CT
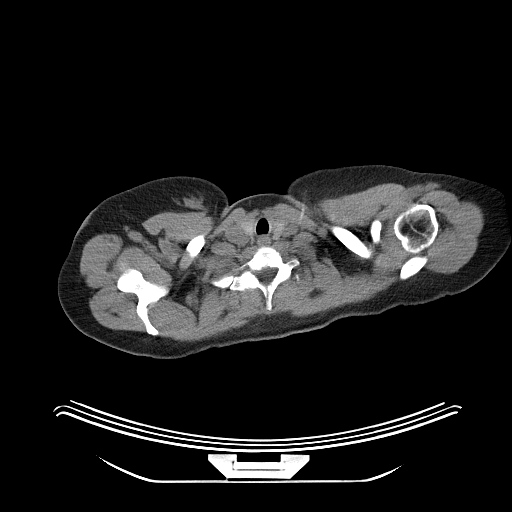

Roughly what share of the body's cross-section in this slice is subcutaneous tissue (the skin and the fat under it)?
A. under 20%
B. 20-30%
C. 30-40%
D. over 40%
Answer: C. 30-40%
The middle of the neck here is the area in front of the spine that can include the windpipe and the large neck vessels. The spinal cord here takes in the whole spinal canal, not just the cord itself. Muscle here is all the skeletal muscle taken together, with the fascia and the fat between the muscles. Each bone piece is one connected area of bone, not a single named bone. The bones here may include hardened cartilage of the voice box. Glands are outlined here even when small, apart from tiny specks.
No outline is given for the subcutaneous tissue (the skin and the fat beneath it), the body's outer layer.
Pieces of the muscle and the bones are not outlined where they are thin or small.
The torso is outlined by 361,164 406,169 380,201 376,235 394,258 422,266 454,295 177,359 100,343 79,331 60,305 57,279 68,252 97,255 112,239 112,221 98,203 115,193 189,175 215,183 232,203 284,193 291,181 316,169. The thyroid glands appear in 2 outlined pieces: piece 1: 250,218 254,218 255,219 255,224 254,225 254,232 253,233 253,236 251,239 250,239 249,238 248,238 244,234 244,233 242,231 242,230 240,228 240,223 242,221 244,221 245,220 247,220; piece 2: 273,217 274,217 275,218 279,218 280,219 282,219 283,220 284,220 286,222 286,223 285,224 285,226 284,227 284,228 283,229 282,232 280,234 280,235 277,238 273,238 273,225 272,224 272,218. The middle of the neck is outlined by 260,215 271,217 273,239 277,239 281,235 287,224 291,226 291,233 287,237 279,241 276,241 271,245 259,246 252,243 240,243 236,238 238,230 240,229 243,234 251,240 255,232 255,218. The bones appear in 6 outlined pieces: piece 1: 414,203 428,204 435,210 438,221 438,229 432,243 419,253 420,255 425,255 427,257 427,261 425,264 417,273 405,280 401,280 399,278 401,267 403,263 412,255 402,247 400,241 394,233 393,224 396,217; piece 2: 261,246 273,247 285,260 296,258 299,261 290,277 275,288 271,297 270,311 266,309 265,297 258,288 248,288 241,291 232,290 228,287 221,288 211,283 213,279 224,274 236,274 236,268 249,260, around a hole outlined by 265,268 275,268 276,269 276,271 275,272 275,274 274,275 274,276 271,279 271,280 267,284 264,284 258,278 258,277 256,275 256,272 257,271 260,271 261,270 262,270 263,269 264,269; piece 3: 133,267 139,270 146,280 157,284 165,285 169,289 166,295 162,296 156,302 147,306 148,318 159,332 158,335 151,335 147,333 144,323 136,312 138,301 137,296 131,292 123,292 117,287 117,279 121,272; piece 4: 332,225 338,225 339,226 341,226 355,234 365,244 366,244 368,246 369,249 372,253 372,255 370,257 370,258 368,258 367,259 366,258 363,258 359,255 356,254 348,248 347,248 332,233 330,229 330,227; piece 5: 199,234 203,234 204,235 204,237 205,238 205,242 202,246 202,247 199,251 199,252 193,258 191,258 190,257 189,254 186,250 186,247 187,246 188,243 190,241 190,240 193,237 194,237; piece 6: 375,219 378,219 381,222 381,229 380,230 380,242 379,243 378,243 377,244 373,244 371,242 371,237 370,236 370,226 371,225 371,223 372,222 372,221 373,220 374,220. The spinal cord is outlined by 265,268 275,268 276,269 276,271 275,272 275,274 274,275 274,276 271,279 271,280 267,284 264,284 258,278 258,277 256,275 256,272 257,271 260,271 261,270 262,270 263,269 264,269. The right arm is outlined by 97,204 100,205 106,211 111,221 111,224 112,225 112,235 111,236 111,239 108,245 101,252 97,254 94,254 93,255 82,255 81,254 74,253 70,251 69,250 72,243 72,240 80,224 87,215 87,214. The muscle is outlined by 429,181 483,209 477,248 456,272 422,269 428,257 420,253 435,240 439,221 430,204 414,202 392,224 411,255 400,267 400,281 367,300 301,317 257,316 215,337 179,341 159,336 149,318 148,306 170,289 133,266 120,272 116,287 136,296 135,312 146,332 105,327 89,309 79,262 94,235 134,229 163,211 225,214 290,198 315,202 381,183; inner edges: 260,215 282,219 291,226 291,233 271,246 285,260 296,258 299,261 290,277 275,288 270,311 266,309 265,297 258,288 241,291 211,283 224,274 236,274 236,268 252,257 259,246 240,243 236,235 242,221, then 332,225 338,225 339,226 341,226 355,234 365,244 366,244 368,246 369,249 372,253 372,255 370,257 370,258 368,258 367,259 366,258 363,258 359,255 356,254 348,248 347,248 332,233 330,229 330,227, then 199,234 203,234 204,235 204,237 205,238 205,242 202,246 202,247 199,251 199,252 193,258 191,258 190,257 189,254 186,250 186,247 187,246 188,243 190,241 190,240 193,237 194,237, then 375,219 378,219 381,222 381,229 380,230 380,242 379,243 378,243 377,244 373,244 371,242 371,237 370,236 370,226 371,225 371,223 372,222 372,221 373,220 374,220. The left arm is outlined by 407,169 418,172 446,173 465,177 492,185 500,189 503,194 509,226 510,241 508,248 501,259 481,280 460,293 457,294 439,285 426,272 422,265 405,262 394,257 383,246 377,235 376,216 381,201 392,181.